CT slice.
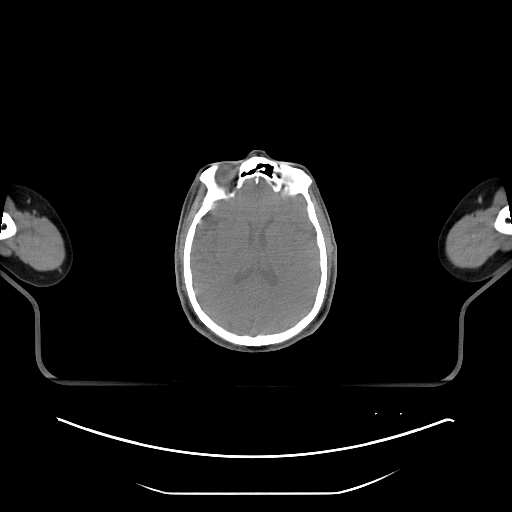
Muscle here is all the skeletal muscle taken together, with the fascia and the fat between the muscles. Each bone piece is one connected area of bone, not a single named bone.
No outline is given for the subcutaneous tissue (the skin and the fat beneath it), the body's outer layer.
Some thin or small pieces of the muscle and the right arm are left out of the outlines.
The bones appear in 3 outlined pieces: piece 1: 253 155; 287 162; 311 177; 308 193; 327 257; 325 291; 316 316; 289 339; 260 346; 229 342; 207 327; 193 309; 183 275; 186 235; 207 190; 199 179; 200 174; 212 164; 218 164; 217 181; 231 190; 237 178; 237 165; 232 162 with a hole at 260 179; 264 180; 271 190; 282 198; 297 195; 303 197; 307 217; 315 232; 319 281; 310 309; 291 326; 276 332; 239 334; 220 325; 201 306; 193 285; 191 252; 197 226; 215 203; 220 200; 233 199; 246 180; 253 180; 257 184; piece 2: 507 205; 508 206; 508 209; 509 210; 509 212; 511 215; 511 234; 505 234; 504 233; 501 233; 500 232; 497 231; 495 229; 495 228; 493 225; 493 224; 494 223; 494 221; 498 214; 498 212; 502 208; 503 208; 505 206; 506 206; piece 3: 3 212; 9 214; 10 215; 10 216; 12 218; 12 219; 14 221; 14 222; 15 223; 15 225; 16 226; 16 232; 14 235; 13 235; 12 236; 11 236; 8 238; 5 238; 4 239; 0 239; 0 220; 2 217; 2 215; 3 214. The muscle appears in 6 outlined pieces: piece 1: 503 186; 506 191; 508 204; 502 207; 497 212; 497 214; 493 221; 492 225; 497 232; 505 235; 511 235; 511 250; 506 251; 488 260; 483 265; 477 268; 459 268; 456 267; 449 261; 445 253; 445 240; 449 230; 451 227; 476 203; piece 2: 7 195; 37 209; 45 215; 56 226; 62 236; 64 242; 65 251; 66 252; 66 256; 61 267; 53 271; 39 272; 34 270; 20 261; 0 255; 0 240; 8 239; 14 236; 17 232; 17 226; 15 221; 9 213; 3 211; 4 201; piece 3: 198 180; 205 186; 206 190; 202 198; 201 203; 194 214; 187 229; 182 252; 182 275; 187 297; 193 311; 188 303; 188 300; 181 286; 181 276; 179 269; 178 253; 179 252; 179 240; 182 227; 189 207; 196 194; 196 190; 198 188; piece 4: 312 183; 314 193; 318 199; 323 214; 327 222; 333 246; 333 257; 332 258; 330 282; 324 304; 319 312; 323 303; 326 291; 326 283; 328 276; 328 257; 327 256; 327 250; 326 249; 324 234; 316 213; 314 203; 309 193; 309 187; piece 5: 314 319; 314 320; 312 322; 311 325; 305 331; 305 332; 302 335; 301 335; 300 336; 299 336; 296 338; 294 338; 293 339; 291 339; 290 340; 288 340; 289 340; 291 338; 294 337; 296 335; 297 335; 301 331; 302 331; piece 6: 206 327; 207 328; 208 328; 213 333; 214 333; 217 336; 218 336; 220 338; 221 338; 225 341; 226 341; 224 341; 220 338; 219 338; 218 337; 215 336; 213 334; 210 333; 208 331; 208 330; 206 328. The left arm is outlined by 493 176; 499 176; 500 177; 502 185; 506 191; 507 202; 508 203; 507 205; 511 215; 511 263; 486 280; 481 280; 477 282; 459 281; 450 276; 442 268; 439 262; 437 255; 437 240; 438 236; 445 221; 461 198; 475 185; 481 181. The right arm is outlined by 11 183; 18 183; 28 186; 34 189; 46 198; 59 215; 68 232; 73 249; 73 262; 67 275; 60 282; 55 285; 49 287; 36 287; 22 281; 7 271; 6 273; 8 275; 0 271; 1 268; 0 265; 0 220; 3 214; 4 201. The head is outlined by 253 149; 264 150; 279 160; 300 163; 311 171; 326 205; 337 244; 337 276; 330 309; 325 319; 305 340; 285 349; 266 353; 231 351; 216 345; 194 329; 182 309; 176 291; 174 273; 174 243; 180 211; 196 172; 206 164; 242 157. The brain is outlined by 260 179; 264 180; 271 190; 282 198; 297 195; 303 197; 307 217; 315 232; 319 281; 310 309; 291 326; 276 332; 239 334; 220 325; 201 306; 193 285; 191 252; 197 226; 215 203; 220 200; 233 199; 246 180; 253 180; 257 184.